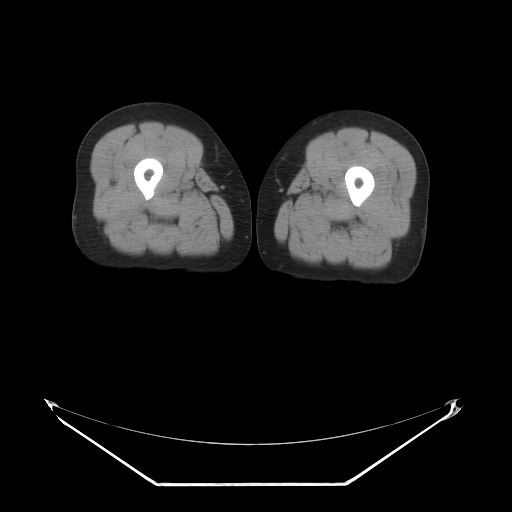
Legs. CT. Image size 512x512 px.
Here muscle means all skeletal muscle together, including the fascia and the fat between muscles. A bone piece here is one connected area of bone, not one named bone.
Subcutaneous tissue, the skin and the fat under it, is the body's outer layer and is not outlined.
Outlined structures:
muscle 1: 346,126 357,126 367,130 376,130 397,140 410,152 417,169 408,234 402,240 401,249 396,261 382,272 338,270 297,263 282,253 274,243 271,233 271,221 278,200 285,189 292,168 314,132 320,129; inner edge: 353,165 361,165 367,168 371,172 374,178 374,188 372,192 370,194 370,195 359,206 355,206 352,203 349,197 349,195 348,194 348,192 345,185 345,182 344,181 344,175 345,174 346,170 350,166 352,166
muscle 2: 135,120 155,120 165,124 175,124 188,128 204,144 209,165 224,187 236,227 235,237 229,246 215,259 134,257 120,255 115,253 105,243 92,214 93,198 91,174 89,169 91,152 95,143 106,132 122,124; inner edge: 145,157 153,157 154,158 156,158 162,164 162,166 163,167 163,173 162,174 162,176 154,189 153,196 148,200 146,200 144,198 143,194 137,187 134,180 134,177 133,176 133,169 135,165 141,159
right leg: 140,101 167,101 193,110 214,128 236,160 250,194 252,239 247,257 234,271 225,275 181,274 149,270 118,271 101,267 89,261 77,248 71,230 71,210 75,192 75,158 79,144 87,130 104,114 117,107
left leg: 341,108 371,110 399,122 417,139 428,162 430,190 427,231 422,257 413,275 396,285 373,286 361,285 351,281 321,283 293,280 284,274 269,270 258,255 256,241 257,194 269,163 286,139 302,124 318,114
bones 1: 353,165 361,165 367,168 371,172 374,178 374,188 372,192 370,194 370,195 359,206 355,206 352,203 349,197 349,195 348,194 348,192 345,185 345,182 344,181 344,175 345,174 346,170 350,166 352,166
bones 2: 145,157 153,157 154,158 156,158 162,164 162,166 163,167 163,173 162,174 162,176 154,189 153,196 148,200 146,200 144,198 143,194 137,187 134,180 134,177 133,176 133,169 135,165 141,159